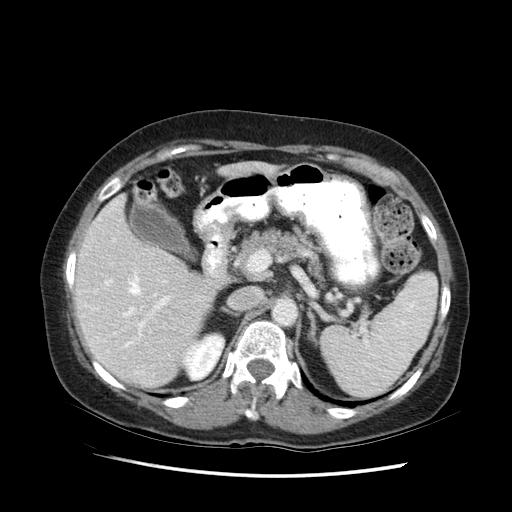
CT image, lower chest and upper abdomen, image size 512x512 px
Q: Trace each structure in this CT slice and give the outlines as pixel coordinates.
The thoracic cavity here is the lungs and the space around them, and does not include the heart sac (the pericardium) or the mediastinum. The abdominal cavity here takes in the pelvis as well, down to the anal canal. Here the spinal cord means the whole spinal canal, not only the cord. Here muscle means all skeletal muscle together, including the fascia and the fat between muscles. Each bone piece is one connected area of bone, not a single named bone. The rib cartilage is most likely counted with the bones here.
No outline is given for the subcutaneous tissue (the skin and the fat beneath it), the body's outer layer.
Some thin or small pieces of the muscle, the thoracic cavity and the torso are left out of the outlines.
A: The torso is outlined by 292 451; 320 451; 394 436; 424 425; 449 399; 460 372; 470 280; 465 251; 443 195; 411 150; 384 133; 353 123; 224 108; 148 123; 94 162; 50 230; 39 287; 56 376; 86 411; 126 430; 140 429; 199 447; 244 447; 251 442. The bones appear in 11 outlined pieces: piece 1: 250 420; 258 419; 257 394; 266 385; 272 388; 277 399; 283 396; 289 381; 303 388; 283 330; 269 320; 255 320; 246 326; 234 349; 228 353; 221 374; 222 378; 231 378; 233 393; 242 382; 250 386; 253 396; 244 413; inner edge: 258 381; 259 381; 261 379; 262 379; 263 378; 268 376; 274 370; 274 367; 273 366; 273 365; 267 360; 264 360; 263 359; 255 359; 254 360; 252 360; 251 361; 250 361; 248 363; 248 364; 247 365; 247 368; 249 370; 249 371; piece 2: 390 185; 394 185; 395 183; 398 183; 399 179; 389 169; 356 157; 350 157; 349 156; 343 157; 338 154; 332 153; 326 154; 326 157; 330 160; 341 159; 344 162; 353 165; 356 169; 361 171; 365 171; 370 175; 380 179; 385 183; piece 3: 388 400; 391 400; 397 397; 399 397; 404 394; 408 390; 409 390; 415 383; 416 380; 419 377; 420 374; 422 372; 423 370; 423 366; 419 367; 408 378; 408 379; 405 382; 404 382; 397 389; 392 392; 388 396; piece 4: 100 202; 102 202; 108 197; 109 197; 111 195; 115 193; 120 188; 121 188; 121 187; 123 185; 123 182; 120 176; 116 176; 114 177; 112 179; 111 179; 102 188; 102 189; 100 191; 97 197; 97 199; 98 201; piece 5: 439 321; 442 321; 445 318; 445 317; 449 310; 449 306; 450 305; 450 300; 451 299; 451 292; 450 291; 450 288; 449 287; 449 285; 448 284; 443 284; 442 285; 442 287; 441 288; 441 297; 440 298; 440 310; 439 311; piece 6: 123 390; 127 390; 126 387; 121 383; 120 383; 107 371; 106 371; 95 359; 95 358; 93 357; 93 356; 93 358; 92 359; 92 364; 98 374; 106 382; 107 382; 112 386; 116 387; 117 388; 119 388; 120 389; 122 389; piece 7: 159 160; 162 160; 163 159; 165 159; 167 157; 169 157; 176 153; 183 152; 184 151; 186 151; 190 149; 194 149; 199 146; 195 144; 184 144; 183 145; 179 145; 171 149; 164 149; 163 150; 160 150; 158 151; 155 154; 155 158; piece 8: 71 291; 72 291; 72 287; 73 286; 73 276; 74 275; 74 270; 75 269; 75 256; 76 255; 76 252; 74 250; 72 250; 70 252; 67 258; 67 266; 65 270; 65 275; 66 276; 66 281; 67 282; 68 287; piece 9: 337 418; 347 418; 348 417; 350 417; 356 414; 357 413; 357 410; 355 407; 354 408; 347 408; 346 407; 339 407; 338 406; 336 406; 335 407; 330 407; 329 408; 327 408; 326 409; 326 411; 330 415; 334 417; 336 417; piece 10: 432 243; 433 243; 433 242; 437 238; 437 236; 436 235; 436 232; 435 231; 434 226; 432 222; 430 220; 430 219; 424 213; 421 212; 419 213; 418 215; 420 218; 420 220; 422 223; 422 225; 424 227; 424 229; 426 231; piece 11: 170 407; 179 407; 180 406; 182 406; 186 403; 187 403; 189 401; 190 398; 188 397; 186 397; 185 396; 183 396; 182 395; 180 395; 179 396; 172 396; 171 397; 166 397; 162 401; 162 403. The thoracic cavity is outlined by 347 407; 354 407; 360 404; 364 404; 374 401; 379 398; 388 395; 391 392; 386 394; 384 396; 361 402; 346 402; 340 400; 332 400; 316 391; 312 387; 304 374; 301 371; 303 383; 312 393; 325 401; 331 402; 339 406; 346 406. The abdominal cavity is outlined by 346 401; 384 395; 405 381; 438 319; 435 251; 413 207; 394 186; 303 154; 253 150; 161 161; 133 174; 101 204; 80 240; 72 293; 86 346; 120 382; 168 396; 191 391; 219 375; 248 323; 269 319; 284 330; 292 359; 313 387. The spinal cord is outlined by 258 381; 259 381; 261 379; 262 379; 263 378; 268 376; 274 370; 274 367; 273 366; 273 365; 267 360; 264 360; 263 359; 255 359; 254 360; 252 360; 251 361; 250 361; 248 363; 248 364; 247 365; 247 368; 249 370; 249 371. The muscle appears in 2 outlined pieces: piece 1: 197 430; 222 427; 246 418; 243 413; 249 407; 252 396; 247 383; 239 385; 233 394; 229 388; 230 378; 222 379; 220 374; 211 382; 184 394; 191 398; 187 404; 179 408; 170 408; 161 403; 164 398; 130 388; 123 391; 112 387; 97 374; 91 364; 92 356; 79 332; 72 294; 67 287; 64 270; 69 252; 72 249; 77 250; 85 227; 101 203; 96 199; 101 188; 116 175; 120 175; 125 183; 133 173; 160 161; 154 158; 158 150; 184 143; 198 144; 198 148; 167 158; 275 149; 303 153; 309 158; 352 169; 355 169; 353 166; 341 160; 328 160; 325 154; 332 152; 363 158; 392 170; 400 179; 400 182; 395 184; 400 193; 410 201; 417 213; 424 212; 433 222; 438 236; 433 245; 441 283; 448 283; 451 291; 454 273; 445 238; 428 206; 399 170; 383 165; 367 154; 333 145; 272 146; 239 140; 180 138; 136 156; 118 168; 96 189; 72 232; 62 264; 63 296; 66 306; 64 314; 73 351; 78 362; 117 396; 176 425; piece 2: 296 434; 319 434; 345 427; 387 410; 416 390; 440 365; 449 329; 452 293; 450 310; 442 322; 438 320; 432 339; 416 368; 423 365; 424 370; 413 387; 401 397; 388 401; 386 396; 357 406; 358 413; 350 418; 337 419; 325 411; 327 407; 335 405; 321 400; 304 386; 299 390; 289 382; 287 391; 280 400; 277 400; 271 388; 266 386; 258 394; 256 405; 260 416; 258 420; 274 428.